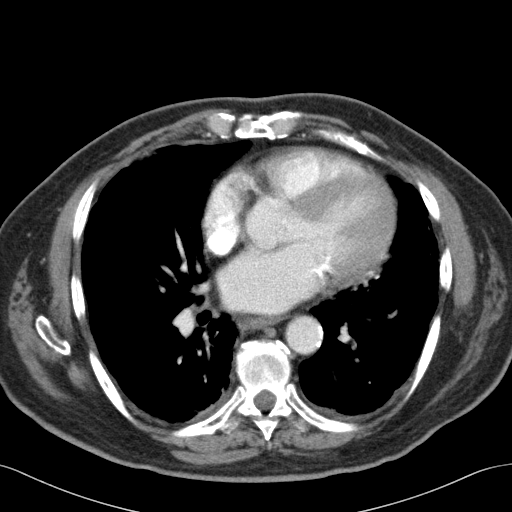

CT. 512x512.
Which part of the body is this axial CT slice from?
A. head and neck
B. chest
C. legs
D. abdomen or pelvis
B. chest
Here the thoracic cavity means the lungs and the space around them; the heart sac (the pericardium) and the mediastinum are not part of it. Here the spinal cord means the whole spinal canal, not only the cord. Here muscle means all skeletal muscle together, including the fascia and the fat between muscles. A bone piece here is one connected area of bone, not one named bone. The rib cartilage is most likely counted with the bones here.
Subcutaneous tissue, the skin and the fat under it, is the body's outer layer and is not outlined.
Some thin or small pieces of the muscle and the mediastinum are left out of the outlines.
{"spinal_cord":[[[263,390],[266,390],[270,392],[274,396],[275,398],[275,400],[274,401],[273,406],[269,410],[267,410],[266,411],[264,411],[263,410],[261,410],[259,409],[256,406],[254,402],[254,399],[255,397],[261,391]]],"bones":[{"outer":[[253,339],[284,343],[290,352],[289,380],[299,396],[317,412],[361,427],[332,432],[310,425],[302,432],[280,417],[269,446],[262,431],[246,416],[227,434],[218,429],[212,434],[173,436],[171,431],[207,418],[229,399],[239,383],[234,354],[241,343]],"hole":[[263,390],[266,390],[270,392],[274,396],[275,398],[275,400],[274,401],[273,406],[269,410],[267,410],[266,411],[264,411],[263,410],[261,410],[259,409],[256,406],[254,402],[254,399],[255,397],[261,391]]},[[281,110],[299,110],[302,113],[296,130],[287,137],[269,139],[266,137],[238,138],[232,136],[228,139],[223,139],[215,134],[209,137],[204,135],[207,131],[205,126],[205,114],[225,112],[239,116],[244,112],[248,112],[256,119],[261,114]],[[435,314],[439,314],[441,318],[440,319],[440,330],[439,331],[439,335],[432,357],[422,378],[418,383],[414,391],[411,395],[405,401],[404,401],[404,397],[408,391],[411,384],[411,380],[413,377],[414,369],[420,357],[424,343],[426,340],[431,321]],[[89,349],[91,349],[98,356],[103,367],[105,369],[111,381],[123,399],[127,409],[137,421],[137,424],[136,425],[132,423],[121,413],[120,413],[120,412],[112,404],[110,400],[103,391],[92,369],[92,367],[91,366],[91,364],[88,357],[88,351]],[[313,128],[326,128],[327,129],[334,128],[338,130],[341,130],[348,134],[351,134],[357,139],[366,143],[375,152],[384,159],[384,162],[378,161],[365,155],[360,154],[351,147],[347,147],[339,143],[325,139],[320,136],[314,135],[310,132],[311,129]],[[95,179],[98,179],[98,181],[97,182],[97,187],[96,188],[94,196],[92,199],[92,204],[88,212],[88,215],[83,229],[82,236],[79,241],[76,243],[74,241],[72,236],[73,221],[74,220],[74,213],[75,212],[76,207],[83,193],[89,185]],[[39,314],[42,314],[44,316],[48,318],[50,320],[55,331],[57,333],[59,337],[62,339],[65,339],[68,342],[70,346],[70,349],[71,350],[71,353],[69,355],[64,355],[61,353],[57,352],[54,349],[49,346],[39,335],[35,327],[35,319]],[[72,272],[75,272],[75,273],[80,277],[81,285],[82,286],[82,291],[83,292],[83,296],[84,297],[84,301],[85,302],[86,314],[85,316],[80,320],[78,320],[77,319],[74,313],[73,305],[72,304],[72,299],[71,298],[71,285],[70,284]],[[446,246],[447,246],[449,248],[449,251],[450,252],[450,255],[451,256],[451,267],[452,268],[452,277],[451,278],[451,286],[450,287],[450,289],[448,291],[446,291],[444,289],[441,288],[439,286],[439,260],[440,259],[440,255],[443,251],[444,248]],[[417,180],[421,181],[425,185],[426,185],[435,197],[437,201],[438,206],[439,207],[439,212],[440,213],[440,218],[439,219],[439,221],[436,221],[432,219],[430,217],[429,213],[428,212],[428,210],[418,190],[417,184],[416,183],[416,181]]],"torso":[[[302,91],[354,97],[389,113],[467,167],[493,190],[510,213],[511,363],[495,389],[473,409],[442,426],[395,460],[357,472],[274,483],[204,481],[125,466],[56,436],[18,409],[0,386],[0,225],[12,209],[70,155],[134,115],[188,99],[258,97]]],"muscle":[{"outer":[[207,108],[228,108],[241,112],[239,115],[205,113],[204,134],[188,134],[134,159],[105,183],[93,202],[99,181],[95,178],[75,207],[71,236],[76,244],[82,241],[80,276],[71,272],[70,298],[76,319],[87,316],[97,351],[89,348],[87,357],[102,391],[135,426],[138,421],[126,404],[155,424],[182,425],[170,431],[178,438],[212,435],[218,430],[227,435],[250,417],[269,447],[280,418],[302,433],[310,426],[332,433],[356,432],[362,427],[353,421],[393,402],[412,374],[403,401],[415,391],[440,335],[442,318],[435,313],[439,287],[448,292],[452,286],[450,248],[446,245],[440,253],[430,219],[440,221],[438,201],[421,180],[415,181],[416,187],[406,181],[351,133],[334,127],[313,127],[310,133],[296,131],[303,111],[336,117],[371,132],[438,177],[487,236],[507,279],[506,308],[480,358],[441,398],[401,429],[313,456],[267,448],[242,460],[195,465],[174,457],[155,442],[124,433],[65,403],[47,393],[29,373],[6,322],[8,297],[17,271],[51,217],[85,177],[133,139]],"hole":[[39,314],[42,314],[44,316],[48,318],[50,320],[55,331],[57,333],[59,337],[62,339],[65,339],[68,342],[70,346],[70,349],[71,350],[71,353],[69,355],[64,355],[61,353],[57,352],[54,349],[49,346],[39,335],[35,327],[35,319]]}],"thoracic_cavity":[[[243,139],[250,142],[249,148],[212,180],[200,224],[211,309],[218,316],[228,314],[238,331],[233,354],[238,383],[228,399],[203,419],[185,425],[155,423],[125,402],[98,355],[90,330],[81,280],[82,237],[89,212],[101,189],[120,169],[159,146]],[[389,175],[413,185],[427,210],[440,254],[437,304],[413,371],[397,397],[375,413],[345,421],[317,411],[300,396],[290,379],[292,370],[297,372],[300,363],[311,358],[322,345],[324,331],[311,308],[374,276],[390,255],[397,228],[398,201],[388,182]]],"pericardium":[[[307,144],[328,146],[358,157],[373,166],[387,180],[397,201],[396,228],[389,247],[389,255],[374,275],[339,291],[331,298],[318,297],[277,315],[230,312],[222,304],[220,291],[204,255],[201,224],[210,187],[214,180],[230,166],[256,150],[275,145]]],"mediastinum":[[[205,259],[219,291],[221,304],[230,313],[277,316],[318,298],[333,298],[325,299],[309,310],[323,331],[317,351],[302,360],[295,371],[292,369],[290,349],[278,338],[248,339],[241,342],[236,350],[239,331],[235,323],[228,313],[218,315],[212,309]],[[295,132],[305,132],[347,148],[351,148],[360,155],[385,164],[399,174],[405,181],[391,174],[385,178],[373,165],[358,156],[350,154],[339,148],[334,148],[319,143],[269,145],[256,149],[238,159],[250,148],[252,144],[248,139],[246,139],[283,139]]]}